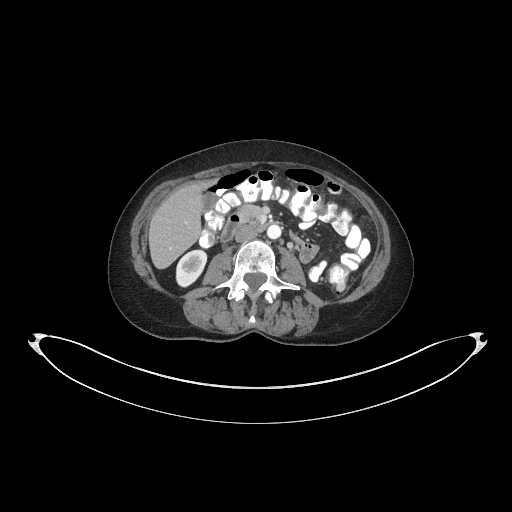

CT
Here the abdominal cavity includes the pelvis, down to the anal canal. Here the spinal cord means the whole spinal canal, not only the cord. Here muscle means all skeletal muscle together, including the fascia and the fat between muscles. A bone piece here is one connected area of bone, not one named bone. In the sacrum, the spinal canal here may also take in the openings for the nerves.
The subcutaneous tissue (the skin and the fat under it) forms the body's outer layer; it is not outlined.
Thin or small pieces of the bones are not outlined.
{"torso":[[[293,346],[331,346],[361,339],[383,327],[401,309],[412,285],[414,258],[406,232],[392,207],[342,161],[315,148],[283,140],[253,138],[223,142],[180,156],[156,169],[130,197],[112,233],[107,282],[120,313],[138,329],[167,340],[223,343],[257,333]]],"spinal_cord":[[[250,291],[255,291],[257,289],[257,288],[262,283],[263,283],[265,281],[265,279],[266,278],[266,277],[265,276],[265,275],[264,274],[263,274],[262,273],[247,273],[244,276],[244,280],[248,284],[248,285],[250,287]]],"bones":[{"outer":[[253,305],[260,295],[271,303],[282,289],[299,289],[299,286],[283,281],[277,275],[275,270],[275,254],[269,244],[259,239],[247,242],[240,246],[234,255],[234,267],[231,276],[213,289],[227,287],[229,289],[227,294],[228,299],[238,301],[247,297]],"hole":[[250,291],[255,291],[257,289],[257,288],[262,283],[263,283],[265,281],[265,279],[266,278],[266,277],[265,276],[265,275],[264,274],[263,274],[262,273],[247,273],[244,276],[244,280],[248,284],[248,285],[250,287]]}],"muscle":[{"outer":[[281,338],[295,338],[310,333],[316,326],[320,316],[320,313],[324,308],[353,302],[370,292],[380,282],[390,261],[391,242],[390,241],[390,234],[389,233],[388,225],[384,217],[378,209],[377,206],[374,203],[373,200],[365,192],[359,188],[327,170],[324,170],[312,165],[308,165],[307,164],[299,163],[298,162],[293,162],[292,161],[270,161],[269,160],[268,161],[260,160],[259,161],[244,161],[243,162],[236,161],[235,162],[222,164],[207,169],[204,169],[191,174],[168,179],[156,185],[149,192],[143,200],[139,209],[133,218],[131,224],[131,227],[130,228],[130,231],[129,232],[130,235],[130,251],[131,252],[132,263],[135,271],[142,280],[148,286],[148,287],[156,290],[158,292],[165,295],[170,299],[172,299],[176,303],[179,304],[182,308],[183,314],[185,316],[186,319],[193,326],[195,326],[200,329],[209,332],[224,333],[225,334],[233,334],[234,333],[237,333],[242,330],[247,329],[250,327],[254,327],[271,335],[278,336]],"holes":[[[253,305],[260,295],[271,303],[282,289],[299,289],[276,273],[282,248],[324,299],[357,284],[376,233],[343,187],[313,170],[258,165],[185,186],[157,210],[146,259],[164,287],[183,293],[199,285],[211,257],[231,247],[233,272],[213,289]],[[252,324],[253,324],[254,323],[255,322],[255,321],[255,320],[255,319],[255,318],[255,317],[254,316],[254,315],[253,314],[252,314],[251,314],[250,315],[250,316],[249,317],[249,318],[248,319],[248,320],[248,321],[249,322],[250,323],[251,323]]]}],"abdominal_cavity":[[[324,299],[341,297],[357,284],[376,233],[359,202],[313,170],[258,165],[230,171],[179,189],[150,220],[146,259],[159,282],[175,293],[199,285],[215,253],[231,247],[233,263],[242,243],[259,238],[273,248],[277,265],[279,250],[291,251],[307,286]]]}